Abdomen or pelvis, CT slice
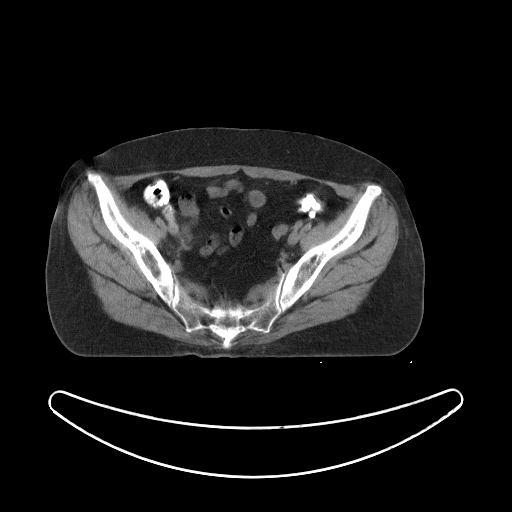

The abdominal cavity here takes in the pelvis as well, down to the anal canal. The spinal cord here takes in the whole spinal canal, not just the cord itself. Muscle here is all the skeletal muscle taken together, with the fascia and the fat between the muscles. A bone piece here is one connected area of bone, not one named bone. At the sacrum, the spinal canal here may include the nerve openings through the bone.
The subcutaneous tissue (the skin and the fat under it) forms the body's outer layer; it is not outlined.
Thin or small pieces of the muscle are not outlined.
{"muscle":[[[227,164],[284,169],[343,184],[365,181],[377,183],[366,185],[336,233],[303,252],[299,240],[303,233],[312,230],[320,221],[329,222],[334,219],[347,205],[348,200],[338,195],[329,185],[311,179],[291,182],[267,177],[252,177],[241,169],[229,174],[205,177],[177,173],[146,177],[136,181],[121,193],[129,206],[144,211],[152,220],[160,218],[163,222],[165,238],[157,246],[125,218],[102,176],[96,171],[88,171],[85,176],[94,189],[101,217],[107,229],[129,250],[139,270],[157,295],[180,319],[185,331],[191,333],[208,329],[221,339],[222,348],[188,343],[127,325],[109,317],[93,292],[85,265],[67,231],[67,209],[74,184],[80,174],[87,168],[114,176]],[[378,184],[381,184],[393,199],[398,219],[399,237],[386,268],[377,278],[356,311],[340,319],[295,331],[267,343],[232,347],[232,341],[240,333],[248,330],[267,334],[274,322],[308,291],[327,262],[347,250],[358,240],[364,231],[373,202],[383,191]],[[276,276],[278,277],[278,280],[274,289],[270,291],[265,296],[265,297],[259,304],[252,307],[246,306],[245,305],[246,303],[246,298],[254,286],[258,284],[261,284],[267,280]],[[179,277],[185,278],[199,286],[199,287],[201,288],[202,291],[204,293],[207,299],[207,301],[209,304],[209,306],[205,304],[202,304],[199,302],[197,302],[194,299],[193,299],[193,298],[183,288],[182,288],[180,286],[180,283],[178,279]]],"bones":[{"outer":[[88,172],[101,176],[121,214],[155,244],[179,286],[208,307],[259,305],[275,289],[280,272],[340,230],[367,185],[377,184],[382,191],[357,240],[326,262],[267,333],[248,329],[223,348],[222,339],[208,328],[187,332],[158,295],[130,250],[108,229]],"holes":[[[242,317],[248,317],[249,318],[251,318],[252,319],[253,319],[253,321],[251,323],[250,323],[249,324],[249,325],[248,326],[246,326],[245,325],[242,325],[241,324],[241,319],[242,318]],[[204,316],[209,316],[210,317],[212,317],[213,318],[213,323],[212,323],[211,324],[208,324],[207,323],[203,323],[202,322],[202,318]],[[224,320],[228,320],[229,321],[230,321],[231,322],[233,322],[233,323],[234,324],[233,325],[229,325],[228,326],[226,326],[225,325],[224,325],[223,324],[221,324],[220,323],[220,322],[221,322],[222,321],[223,321]]]}],"torso":[[[207,126],[309,132],[362,150],[396,173],[405,188],[425,259],[423,317],[407,347],[396,354],[369,357],[202,358],[193,354],[93,357],[74,354],[60,342],[47,310],[45,263],[49,228],[61,181],[69,166],[81,157],[92,156],[130,139],[172,129]]],"spinal_cord":[[[242,317],[248,317],[249,318],[251,318],[252,319],[253,319],[253,321],[251,323],[250,323],[249,324],[249,325],[248,326],[246,326],[245,325],[242,325],[241,324],[241,319],[242,318]],[[204,316],[209,316],[210,317],[212,317],[213,318],[213,323],[212,323],[211,324],[208,324],[207,323],[203,323],[202,322],[202,318]],[[224,320],[228,320],[229,321],[230,321],[231,322],[233,322],[233,323],[234,324],[233,325],[229,325],[228,326],[226,326],[225,325],[224,325],[223,324],[221,324],[220,323],[220,322],[221,322],[222,321],[223,321]]],"abdominal_cavity":[[[240,170],[252,178],[311,180],[331,187],[347,202],[334,218],[303,232],[298,240],[303,253],[279,276],[254,285],[244,304],[210,306],[202,288],[177,277],[160,252],[158,246],[166,238],[161,218],[152,219],[129,205],[122,192],[164,174],[205,178]]]}